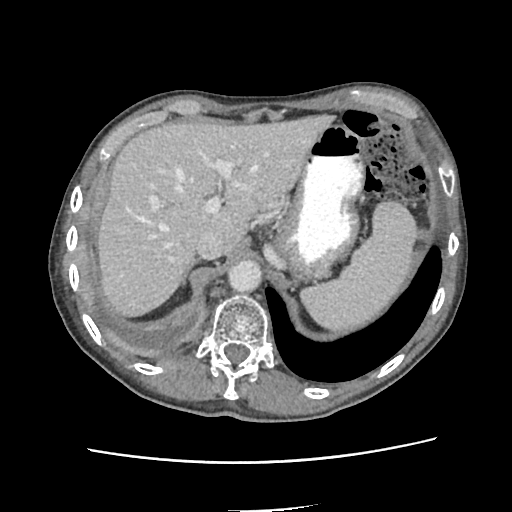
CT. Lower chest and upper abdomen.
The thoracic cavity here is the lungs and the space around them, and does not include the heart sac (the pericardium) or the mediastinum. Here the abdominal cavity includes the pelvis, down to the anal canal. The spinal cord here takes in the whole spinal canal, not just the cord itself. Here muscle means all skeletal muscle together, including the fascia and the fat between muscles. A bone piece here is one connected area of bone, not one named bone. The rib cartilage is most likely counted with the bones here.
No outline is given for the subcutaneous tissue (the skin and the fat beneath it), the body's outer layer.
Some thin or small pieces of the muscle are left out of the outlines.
{"muscle":[{"outer":[[199,403],[224,398],[222,394],[227,386],[227,379],[222,371],[219,370],[217,378],[213,378],[209,373],[209,354],[199,359],[193,355],[200,340],[210,330],[213,312],[208,326],[192,343],[170,355],[161,355],[122,344],[109,333],[95,308],[91,277],[90,211],[94,185],[102,169],[112,158],[112,156],[104,162],[97,159],[98,151],[107,137],[120,125],[134,117],[151,110],[160,109],[181,98],[194,99],[201,104],[201,111],[218,114],[239,114],[264,106],[273,109],[285,108],[286,110],[332,109],[343,103],[353,102],[349,99],[348,92],[353,88],[358,88],[390,93],[407,102],[418,114],[415,119],[410,120],[434,167],[436,169],[439,163],[446,159],[454,170],[445,146],[424,112],[411,98],[401,92],[375,86],[348,87],[307,99],[236,104],[219,103],[194,94],[180,94],[153,101],[132,112],[111,128],[93,150],[74,183],[74,185],[76,183],[81,185],[84,197],[82,206],[77,213],[71,212],[69,207],[70,193],[61,226],[62,234],[58,257],[66,307],[87,343],[119,371],[154,393]],"holes":[[[100,346],[102,346],[104,344],[102,340],[102,337],[101,336],[101,334],[94,321],[93,321],[91,319],[91,318],[87,313],[85,312],[83,312],[81,314],[81,317],[82,318],[83,323],[85,327],[87,329],[88,332],[94,340],[94,341],[98,345]],[[148,375],[154,375],[158,373],[161,373],[163,371],[163,369],[160,366],[158,366],[157,365],[153,365],[152,364],[146,363],[145,362],[142,362],[141,361],[136,361],[132,363],[130,365],[130,367],[133,367],[136,370],[144,374],[147,374]],[[70,252],[72,252],[75,249],[75,248],[76,247],[76,244],[77,243],[77,230],[76,229],[76,227],[75,226],[75,225],[74,225],[73,224],[72,224],[70,226],[70,227],[66,234],[66,244],[67,245],[67,249],[68,250],[68,251],[69,251]],[[73,291],[78,291],[78,286],[79,285],[79,277],[78,276],[78,273],[77,272],[77,267],[76,266],[75,263],[74,263],[73,262],[71,262],[69,265],[69,281],[70,282],[70,285],[71,286],[71,287],[72,288]]]},{"outer":[[274,415],[322,411],[375,386],[398,372],[437,333],[453,302],[462,268],[455,171],[454,193],[450,198],[445,195],[447,213],[441,242],[443,265],[439,284],[445,287],[446,297],[436,314],[430,314],[430,306],[418,329],[398,352],[406,354],[402,362],[381,378],[375,377],[378,367],[350,381],[322,384],[290,371],[274,346],[276,365],[269,369],[261,362],[254,382],[244,375],[235,385],[238,399],[247,407]],"holes":[[[318,399],[319,398],[323,398],[324,397],[325,397],[326,396],[329,395],[330,394],[330,390],[329,389],[328,389],[327,388],[322,388],[321,387],[306,387],[303,389],[303,391],[302,392],[304,395],[305,395],[307,397],[309,397],[310,398],[317,398]],[[450,256],[452,256],[455,253],[455,252],[458,247],[458,244],[459,243],[459,242],[458,241],[458,238],[457,237],[457,236],[455,234],[455,233],[453,231],[451,231],[449,233],[449,235],[448,236],[448,242],[447,243],[447,249],[448,250],[448,254]]]},[[114,154],[117,154],[119,150],[123,146],[124,143],[126,141],[131,139],[136,134],[139,133],[141,131],[149,127],[150,125],[149,126],[146,126],[145,127],[140,128],[136,130],[131,135],[128,136],[122,142],[122,143],[119,146],[118,146]]],"thoracic_cavity":[[[322,383],[334,383],[358,377],[380,366],[406,343],[420,324],[436,291],[442,265],[438,248],[431,248],[410,286],[381,318],[367,328],[331,343],[313,342],[298,334],[289,321],[281,298],[271,287],[266,288],[270,316],[269,332],[280,358],[297,375]],[[161,354],[177,351],[199,336],[207,326],[211,310],[206,299],[195,317],[160,330],[142,330],[118,320],[110,313],[99,278],[97,236],[104,200],[111,184],[116,155],[114,155],[103,169],[95,185],[92,200],[91,257],[95,305],[110,333],[122,343]]],"bones":[{"outer":[[231,400],[238,398],[234,389],[237,378],[249,374],[254,381],[261,361],[269,368],[276,363],[272,342],[267,339],[269,316],[247,294],[234,294],[214,308],[211,330],[194,352],[198,358],[210,354],[213,377],[219,369],[224,372],[228,386],[223,396]],"hole":[[234,365],[235,365],[236,364],[237,364],[239,362],[242,361],[248,355],[248,354],[249,353],[249,350],[245,346],[244,346],[243,345],[238,345],[237,344],[229,344],[228,345],[227,345],[224,348],[224,352],[225,353],[226,356],[232,362],[232,363]]},[[100,161],[108,159],[114,153],[117,146],[136,129],[153,123],[158,123],[164,120],[167,117],[169,111],[189,114],[197,113],[201,110],[200,104],[190,99],[176,100],[166,105],[160,110],[151,111],[134,118],[120,126],[108,137],[99,151],[98,159]],[[410,119],[413,119],[417,116],[416,112],[407,103],[403,100],[397,98],[395,96],[382,92],[372,92],[371,91],[370,92],[369,91],[362,91],[358,89],[353,89],[349,92],[350,99],[353,101],[370,103],[375,105],[381,105],[389,109],[395,110]],[[448,197],[450,197],[452,195],[453,191],[454,190],[454,182],[455,181],[455,175],[454,174],[454,171],[453,169],[447,163],[446,160],[443,160],[438,166],[437,170],[439,174],[439,177],[440,178],[440,180],[441,181],[442,187],[444,190],[444,192]],[[248,123],[255,123],[263,114],[266,115],[269,119],[272,121],[280,120],[282,119],[282,115],[281,114],[285,111],[285,109],[274,109],[273,110],[264,107],[260,109],[251,110],[246,113],[242,113],[241,114],[244,116],[243,118],[244,121]],[[100,346],[102,346],[104,344],[102,340],[102,337],[101,336],[101,334],[94,321],[93,321],[91,319],[91,318],[87,313],[85,312],[83,312],[81,314],[81,317],[82,318],[83,323],[85,327],[87,329],[88,332],[94,340],[94,341],[98,345]],[[148,375],[154,375],[158,373],[161,373],[163,371],[163,369],[160,366],[158,366],[157,365],[153,365],[152,364],[146,363],[145,362],[142,362],[141,361],[136,361],[132,363],[130,365],[130,367],[133,367],[136,370],[144,374],[147,374]],[[376,377],[381,377],[385,375],[390,371],[391,371],[394,368],[395,368],[401,362],[405,354],[401,352],[400,353],[398,353],[396,354],[388,361],[384,363],[380,367],[379,369],[380,370],[380,372],[376,376]],[[74,213],[77,212],[79,210],[81,206],[82,200],[83,199],[83,197],[82,196],[82,192],[81,191],[80,185],[79,184],[76,184],[74,186],[72,190],[72,192],[71,193],[71,197],[70,198],[70,207],[71,208],[72,212]],[[318,399],[319,398],[323,398],[324,397],[325,397],[326,396],[329,395],[330,394],[330,390],[329,389],[328,389],[327,388],[322,388],[321,387],[306,387],[303,389],[303,391],[302,392],[304,395],[305,395],[307,397],[309,397],[310,398],[317,398]],[[431,314],[434,314],[437,312],[437,311],[440,308],[440,307],[444,300],[444,298],[445,297],[445,290],[444,289],[444,287],[441,285],[439,285],[438,286],[438,288],[437,289],[437,291],[436,292],[436,293],[434,296],[434,298],[431,303]],[[70,252],[72,252],[75,249],[75,248],[76,247],[76,244],[77,243],[77,230],[76,229],[76,227],[75,226],[75,225],[74,225],[73,224],[72,224],[70,226],[70,227],[66,234],[66,244],[67,245],[67,249],[68,250],[68,251],[69,251]],[[73,291],[78,291],[78,286],[79,285],[79,277],[78,276],[78,273],[77,272],[77,267],[76,266],[75,263],[74,263],[73,262],[71,262],[69,265],[69,281],[70,282],[70,285],[71,286],[71,287],[72,288]],[[450,256],[452,256],[455,253],[455,252],[458,247],[458,244],[459,243],[459,242],[458,241],[458,238],[457,237],[457,236],[455,234],[455,233],[453,231],[451,231],[449,233],[449,235],[448,236],[448,242],[447,243],[447,249],[448,250],[448,254]]],"torso":[[[251,422],[325,417],[374,396],[419,362],[455,317],[468,264],[459,170],[427,106],[401,87],[350,81],[283,95],[228,95],[187,88],[159,92],[128,106],[97,132],[66,186],[51,233],[47,269],[54,304],[76,344],[142,398],[200,416],[230,416]]],"abdominal_cavity":[[[317,342],[381,317],[430,248],[440,249],[445,197],[409,119],[357,102],[287,110],[277,122],[263,115],[255,124],[240,114],[199,112],[176,114],[126,142],[98,236],[111,313],[142,329],[189,319],[205,301],[204,285],[246,255],[266,270],[294,329]]],"spinal_cord":[[[234,365],[235,365],[236,364],[237,364],[239,362],[242,361],[248,355],[248,354],[249,353],[249,350],[245,346],[244,346],[243,345],[238,345],[237,344],[229,344],[228,345],[227,345],[224,348],[224,352],[225,353],[226,356],[232,362],[232,363]]],"mediastinum":[[[268,313],[265,288],[269,286],[269,284],[267,281],[265,270],[263,269],[261,264],[253,258],[244,256],[236,260],[230,266],[227,272],[212,279],[205,285],[205,295],[207,297],[207,303],[212,311],[213,308],[222,299],[234,293],[247,293],[255,298]]]}